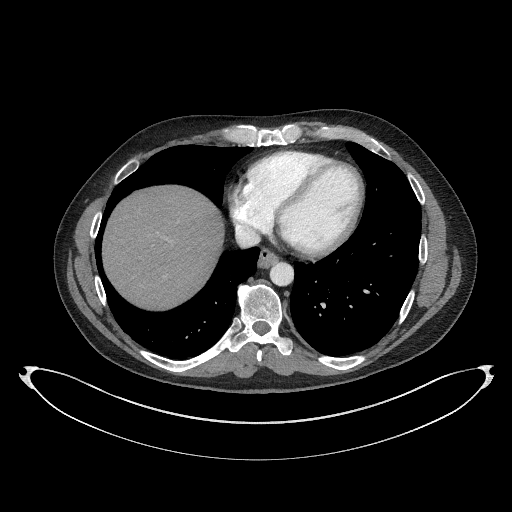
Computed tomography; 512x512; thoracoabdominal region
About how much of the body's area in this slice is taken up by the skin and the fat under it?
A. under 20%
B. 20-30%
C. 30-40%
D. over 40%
Answer: A. under 20%
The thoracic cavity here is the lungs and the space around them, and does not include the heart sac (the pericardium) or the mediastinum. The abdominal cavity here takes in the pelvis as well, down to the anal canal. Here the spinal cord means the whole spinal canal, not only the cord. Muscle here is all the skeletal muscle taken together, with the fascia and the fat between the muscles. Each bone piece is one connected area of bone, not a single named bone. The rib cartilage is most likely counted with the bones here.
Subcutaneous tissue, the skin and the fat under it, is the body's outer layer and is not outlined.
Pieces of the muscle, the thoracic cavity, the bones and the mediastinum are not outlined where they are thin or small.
Outlines (x, y in pixels):
muscle 1: (196, 377) (249, 377) (261, 367) (281, 375) (350, 372) (391, 350) (433, 316) (460, 282) (461, 257) (456, 246) (447, 243) (443, 213) (417, 171) (378, 140) (391, 153) (392, 161) (405, 173) (410, 171) (424, 190) (421, 222) (428, 239) (428, 258) (418, 267) (412, 284) (416, 295) (405, 320) (358, 353) (367, 358) (347, 370) (321, 364) (316, 359) (319, 353) (305, 347) (287, 323) (280, 331) (295, 342) (288, 356) (273, 344) (249, 342) (235, 353) (224, 350) (182, 372) (165, 370) (142, 357) (137, 350) (143, 347) (123, 331) (108, 306) (101, 304) (93, 282) (97, 270) (89, 228) (93, 214) (103, 210) (115, 186) (115, 173) (112, 175) (76, 224) (67, 261) (70, 294) (102, 334) (138, 360) (168, 373), around a hole outlined by (259, 362) (260, 362) (260, 361) (261, 360) (261, 349) (258, 349) (257, 350) (257, 359) (258, 360) (258, 361)
muscle 2: (141, 163) (145, 161) (154, 153) (173, 145) (186, 144) (187, 143) (213, 144) (214, 145) (231, 145) (233, 144) (224, 141) (220, 137) (219, 130) (223, 127) (216, 128) (203, 133) (198, 133) (187, 137) (176, 138) (167, 141) (158, 147) (134, 154) (131, 157) (138, 158)
muscle 3: (364, 132) (365, 132) (362, 130) (351, 126) (346, 126) (339, 124) (328, 124) (325, 122) (321, 122) (320, 121) (305, 121) (304, 120) (297, 121) (297, 122) (302, 126) (308, 129) (312, 129) (314, 127) (326, 124) (327, 125) (343, 126)
mediastinum 1: (291, 330) (288, 301) (293, 285) (293, 264) (308, 262) (280, 252) (252, 227) (234, 224) (226, 208) (226, 191) (235, 171) (254, 153) (281, 146) (254, 147) (231, 168) (225, 179) (222, 209) (227, 212) (226, 249) (259, 248) (256, 272) (245, 282) (264, 282) (274, 288)
mediastinum 2: (350, 157) (351, 157) (351, 156) (345, 147) (345, 144) (349, 141) (346, 140) (312, 140) (307, 142) (296, 142) (293, 144) (288, 144) (286, 145) (299, 145) (300, 146) (325, 146) (326, 147) (329, 147) (332, 149) (335, 149) (341, 151) (347, 155) (349, 155)
abdominal cavity: (149, 311) (168, 310) (191, 298) (203, 287) (211, 275) (219, 256) (225, 250) (225, 216) (223, 215) (222, 210) (199, 192) (185, 186) (165, 184) (149, 186) (133, 191) (116, 204) (108, 218) (104, 230) (101, 254) (103, 268) (106, 276) (116, 291) (124, 299) (139, 308)
torso: (242, 394) (312, 390) (395, 367) (434, 346) (464, 309) (477, 270) (472, 224) (457, 194) (432, 160) (389, 121) (347, 108) (272, 115) (190, 114) (164, 119) (144, 127) (117, 147) (84, 182) (65, 210) (54, 239) (54, 277) (65, 309) (88, 343) (110, 362) (146, 378)
thoracic cavity 1: (332, 356) (347, 356) (369, 347) (395, 322) (417, 270) (418, 242) (421, 233) (420, 205) (405, 174) (393, 162) (350, 141) (346, 147) (362, 170) (366, 182) (361, 219) (348, 239) (330, 254) (313, 263) (294, 264) (294, 285) (289, 301) (292, 332) (295, 336) (308, 348)
thoracic cavity 2: (172, 359) (197, 355) (222, 335) (259, 250) (226, 250) (191, 299) (149, 312) (124, 300) (103, 272) (107, 218) (133, 190) (165, 183) (191, 187) (221, 208) (225, 176) (251, 147) (164, 149) (114, 188) (103, 211) (94, 250) (108, 305) (134, 340)
spinal cord: (259, 334) (263, 334) (264, 333) (265, 333) (269, 329) (269, 326) (265, 322) (262, 322) (261, 321) (260, 321) (259, 322) (256, 322) (253, 325) (253, 329) (257, 333) (258, 333)
bones 1: (171, 371) (194, 367) (224, 349) (235, 352) (249, 341) (260, 345) (273, 343) (282, 354) (290, 354) (294, 342) (291, 337) (284, 336) (279, 331) (285, 322) (277, 293) (264, 283) (239, 284) (238, 314) (218, 341) (197, 356) (172, 360) (139, 349) (138, 352) (146, 359) with a hole at (259, 334) (263, 334) (264, 333) (265, 333) (269, 329) (269, 326) (265, 322) (262, 322) (261, 321) (260, 321) (259, 322) (256, 322) (253, 325) (253, 329) (257, 333) (258, 333)
bones 2: (389, 160) (391, 160) (390, 153) (377, 140) (363, 132) (338, 126) (324, 125) (308, 130) (294, 122) (274, 129) (257, 128) (251, 124) (237, 124) (220, 130) (220, 135) (224, 140) (252, 147) (273, 144) (285, 145) (298, 141) (304, 135) (320, 139) (346, 139) (359, 143)
bones 3: (336, 369) (347, 369) (355, 365) (357, 365) (362, 362) (366, 358) (366, 355) (364, 354) (355, 354) (354, 355) (351, 355) (347, 357) (332, 357) (331, 356) (328, 356) (327, 355) (324, 355) (323, 354) (319, 354) (317, 357) (317, 359) (321, 363) (327, 366) (329, 366)
bones 4: (115, 185) (116, 185) (118, 183) (119, 183) (123, 179) (124, 179) (127, 176) (128, 176) (131, 173) (132, 173) (140, 165) (140, 162) (138, 159) (137, 159) (136, 158) (131, 158) (122, 165) (122, 166) (117, 171) (117, 172) (114, 177) (114, 179) (113, 180) (113, 183)
bones 5: (397, 324) (400, 324) (404, 320) (404, 319) (406, 317) (412, 305) (412, 303) (414, 299) (414, 296) (415, 295) (415, 290) (412, 288) (411, 288) (411, 289) (409, 291) (399, 311) (399, 315) (398, 316) (398, 319) (396, 321) (396, 323)
bones 6: (421, 205) (423, 205) (425, 202) (425, 197) (424, 196) (424, 193) (423, 192) (423, 190) (419, 182) (417, 180) (417, 179) (410, 172) (408, 171) (406, 173) (406, 176) (411, 185) (411, 187) (412, 189) (415, 193) (415, 195) (419, 203)
bones 7: (419, 265) (422, 265) (425, 262) (425, 261) (426, 260) (426, 259) (427, 258) (427, 239) (426, 238) (426, 236) (425, 235) (425, 234) (424, 234) (423, 233) (422, 233) (421, 234) (421, 236) (420, 237) (420, 241) (419, 242) (419, 251) (418, 252) (418, 259) (419, 260)
bones 8: (104, 306) (107, 306) (107, 302) (106, 301) (106, 296) (105, 295) (105, 292) (104, 291) (104, 289) (103, 288) (103, 286) (102, 285) (101, 280) (98, 274) (95, 274) (94, 276) (94, 282) (95, 283) (95, 288) (96, 289) (97, 294) (102, 304)
bones 9: (92, 239) (94, 239) (95, 238) (97, 234) (98, 229) (99, 228) (99, 224) (100, 223) (100, 221) (101, 220) (101, 216) (102, 215) (102, 211) (101, 210) (98, 210) (94, 214) (93, 216) (93, 218) (92, 219) (92, 222) (91, 223) (91, 227) (90, 228) (90, 236)
pericardium: (302, 261) (315, 261) (327, 255) (345, 241) (357, 225) (361, 216) (365, 197) (365, 182) (361, 170) (349, 156) (325, 147) (282, 146) (254, 154) (236, 171) (229, 183) (227, 191) (227, 208) (229, 216) (234, 223) (243, 225) (247, 224) (262, 232) (264, 237) (280, 251)